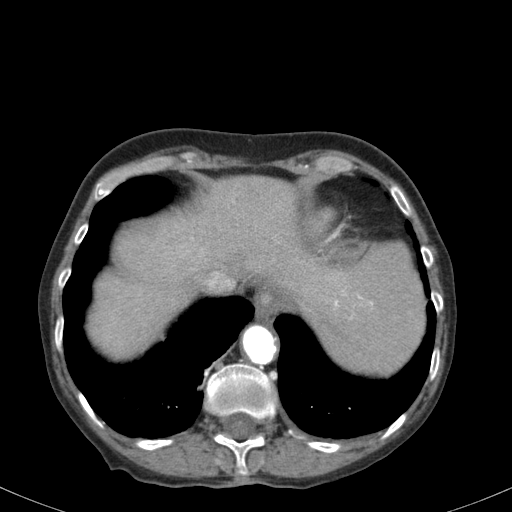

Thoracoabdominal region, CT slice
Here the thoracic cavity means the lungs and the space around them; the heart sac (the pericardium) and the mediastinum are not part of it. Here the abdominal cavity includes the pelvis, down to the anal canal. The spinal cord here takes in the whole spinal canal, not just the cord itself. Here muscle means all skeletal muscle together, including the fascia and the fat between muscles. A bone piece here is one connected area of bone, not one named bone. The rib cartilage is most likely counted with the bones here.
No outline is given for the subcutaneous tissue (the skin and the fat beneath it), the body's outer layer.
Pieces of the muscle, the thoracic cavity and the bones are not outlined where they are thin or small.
The pericardium is outlined by 323 188; 331 188; 338 190; 349 197; 363 210; 370 225; 370 229; 365 234; 364 237; 362 237; 359 241; 353 243; 329 243; 321 236; 319 232; 319 209; 317 198; 318 193; 319 194; 320 190; 322 190. The muscle is outlined by 182 145; 263 161; 314 149; 340 150; 375 166; 404 189; 438 253; 449 325; 437 388; 421 415; 395 439; 319 476; 246 475; 246 455; 266 443; 260 428; 277 412; 291 428; 288 434; 318 440; 305 444; 320 452; 338 451; 342 447; 338 442; 380 435; 382 441; 404 423; 426 379; 431 382; 439 369; 441 351; 435 335; 444 299; 430 287; 427 269; 434 256; 427 245; 420 244; 408 218; 412 207; 398 184; 387 188; 375 177; 352 170; 351 160; 331 154; 317 157; 313 171; 251 164; 190 164; 165 170; 178 158; 194 159; 197 154; 190 150; 117 168; 95 184; 97 202; 73 237; 78 247; 71 265; 62 268; 57 278; 62 312; 54 321; 54 343; 64 355; 78 389; 76 397; 90 419; 101 429; 105 423; 137 438; 136 447; 151 451; 170 446; 174 440; 168 437; 189 428; 203 411; 221 424; 212 439; 232 451; 235 473; 241 476; 176 477; 138 466; 103 441; 64 395; 52 361; 50 297; 53 276; 76 219; 95 183; 108 170. The torso is outlined by 170 127; 253 134; 304 130; 347 133; 388 154; 417 187; 453 267; 455 345; 445 385; 430 415; 383 459; 337 481; 303 489; 262 484; 161 486; 109 469; 56 398; 46 371; 37 313; 39 282; 53 240; 82 179; 102 155; 132 136. The abdominal cavity is outlined by 190 165; 287 166; 333 174; 316 198; 318 232; 327 243; 410 237; 427 298; 427 322; 409 361; 387 379; 342 371; 293 300; 268 287; 201 299; 163 341; 131 363; 98 355; 83 323; 110 238; 119 222; 174 205; 195 184; 178 171. The bones appear in 10 outlined pieces: piece 1: 237 362; 265 373; 278 397; 275 416; 259 428; 265 443; 252 447; 245 455; 245 475; 236 473; 233 451; 213 437; 222 428; 228 437; 244 441; 258 432; 257 420; 247 413; 235 412; 222 416; 220 424; 203 410; 202 385; 206 376; piece 2: 187 151; 195 153; 196 155; 194 158; 190 157; 185 160; 178 157; 171 166; 164 170; 153 173; 134 175; 119 183; 110 193; 100 200; 96 201; 94 199; 96 184; 111 172; 126 165; 149 158; 165 155; 173 155; 177 157; 180 153; piece 3: 328 155; 331 155; 332 156; 338 156; 339 157; 345 158; 351 161; 354 167; 349 171; 340 172; 335 174; 333 173; 322 173; 321 172; 316 172; 314 171; 314 168; 315 167; 314 165; 314 161; 319 157; 323 157; piece 4: 392 184; 396 184; 398 185; 401 188; 404 194; 404 196; 405 198; 407 200; 409 205; 411 207; 412 209; 412 214; 409 217; 406 217; 406 216; 404 215; 404 214; 400 210; 398 206; 395 203; 395 202; 391 197; 388 189; piece 5: 138 438; 143 438; 144 439; 159 439; 160 438; 171 438; 173 440; 173 442; 170 445; 167 445; 166 446; 163 446; 159 448; 156 448; 155 449; 152 449; 151 450; 149 450; 148 449; 143 449; 142 448; 140 448; 135 445; 134 443; piece 6: 309 440; 312 440; 313 441; 326 441; 327 442; 337 442; 341 444; 341 447; 338 450; 334 452; 324 452; 323 451; 320 451; 319 450; 317 450; 316 449; 313 449; 309 447; 306 444; 306 441; 308 441; piece 7: 62 313; 63 314; 63 335; 62 336; 62 347; 63 348; 63 352; 62 353; 60 353; 58 351; 58 350; 56 347; 56 344; 55 343; 55 338; 54 337; 54 327; 55 326; 55 321; 56 320; 56 318; 60 314; 61 314; piece 8: 77 390; 79 390; 85 397; 87 402; 89 404; 89 405; 91 407; 93 411; 96 414; 97 417; 100 420; 104 422; 103 423; 103 428; 101 428; 99 426; 98 426; 91 419; 91 418; 88 415; 88 414; 84 410; 77 397; piece 9: 434 346; 437 346; 439 347; 439 350; 440 351; 440 358; 439 359; 439 365; 438 366; 437 372; 434 378; 431 381; 430 380; 428 380; 427 377; 429 373; 429 368; 430 367; 430 364; 431 363; 431 357; 432 356; 432 353; 433 352; piece 10: 405 411; 406 411; 407 412; 407 415; 406 416; 406 418; 405 419; 405 420; 403 422; 403 423; 395 431; 394 431; 389 436; 388 436; 386 438; 381 440; 380 439; 380 437; 383 434; 383 433; 386 430; 386 429; 402 413; 403 413. The spinal cord is outlined by 235 413; 244 413; 245 414; 249 415; 256 420; 257 422; 257 432; 253 436; 249 437; 244 440; 237 440; 232 437; 228 436; 226 434; 226 433; 224 431; 222 427; 222 424; 221 423; 221 418; 224 416; 229 416. The thoracic cavity appears in 2 outlined pieces: piece 1: 144 174; 165 177; 173 195; 157 209; 116 224; 83 314; 91 349; 108 363; 131 364; 203 299; 239 296; 254 308; 227 351; 203 371; 202 410; 195 421; 159 438; 127 436; 102 420; 74 382; 63 347; 63 290; 92 211; 119 184; piece 2: 407 218; 419 243; 436 314; 427 376; 407 409; 379 435; 352 441; 304 436; 288 426; 277 411; 281 343; 274 321; 280 314; 301 320; 323 353; 342 372; 368 380; 387 380; 397 374; 420 346; 428 322; 428 298; 413 240; 405 228. The mediastinum appears in 3 outlined pieces: piece 1: 256 288; 280 290; 292 300; 300 315; 300 319; 291 314; 280 313; 273 321; 273 327; 280 343; 276 384; 261 369; 240 361; 223 364; 205 376; 204 371; 228 351; 241 330; 253 318; 255 313; 255 308; 249 300; 239 295; 231 295; piece 2: 350 171; 358 171; 367 174; 375 178; 385 186; 390 197; 406 218; 403 224; 405 231; 409 235; 408 237; 383 239; 371 239; 365 237; 371 229; 371 225; 364 210; 349 196; 338 189; 331 187; 320 187; 334 177; 334 175 with a hole at 364 177; 367 177; 368 178; 370 178; 373 181; 375 181; 376 182; 378 182; 379 183; 379 185; 378 186; 374 186; 373 185; 372 185; 371 184; 370 184; 368 182; 366 182; 365 181; 364 181; 363 180; 363 178; piece 3: 168 170; 177 170; 177 171; 180 174; 184 176; 194 184; 174 204; 168 204; 167 205; 164 205; 169 202; 174 195; 174 186; 172 184; 172 183; 165 176; 161 175; 160 174; 158 174; 157 173; 154 173; 163 172; 164 171; 167 171.